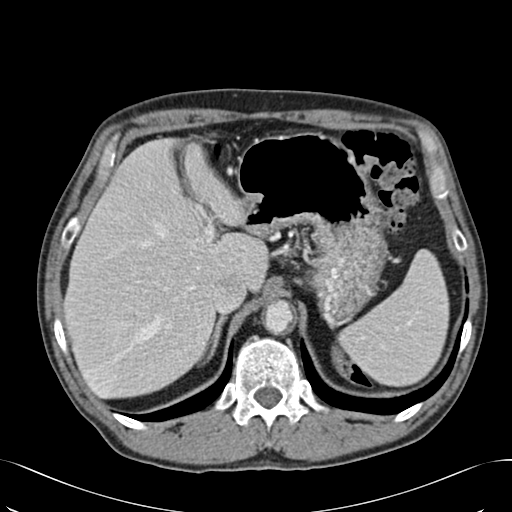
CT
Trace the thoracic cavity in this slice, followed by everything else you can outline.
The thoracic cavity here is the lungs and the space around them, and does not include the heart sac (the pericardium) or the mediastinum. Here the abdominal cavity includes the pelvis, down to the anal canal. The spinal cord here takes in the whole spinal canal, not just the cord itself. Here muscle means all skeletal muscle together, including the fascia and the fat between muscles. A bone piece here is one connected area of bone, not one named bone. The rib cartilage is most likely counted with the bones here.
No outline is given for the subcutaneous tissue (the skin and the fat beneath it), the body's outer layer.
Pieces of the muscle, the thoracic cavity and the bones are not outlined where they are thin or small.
The thoracic cavity appears in 2 outlined pieces: piece 1: (467, 299) (467, 315) (462, 323) (455, 360) (446, 379) (429, 397) (396, 413) (366, 413) (332, 406) (318, 397) (313, 391) (310, 382) (302, 374) (300, 366) (302, 365) (301, 341) (319, 377) (336, 391) (364, 398) (393, 398) (422, 388) (433, 380) (446, 365) (462, 323); piece 2: (232, 343) (233, 366) (231, 371) (231, 377) (225, 384) (218, 397) (211, 404) (208, 405) (205, 408) (185, 415) (162, 421) (142, 421) (125, 414) (145, 414) (153, 412) (156, 410) (159, 410) (171, 406) (207, 388) (213, 384) (222, 374) (226, 364) (228, 351) (230, 345). The torso is outlined by (211, 88) (293, 89) (365, 97) (417, 112) (443, 135) (483, 248) (488, 301) (484, 332) (469, 377) (451, 409) (421, 439) (379, 455) (323, 468) (193, 473) (120, 455) (79, 413) (63, 390) (48, 360) (36, 309) (38, 258) (52, 212) (94, 130) (104, 118) (150, 97). The spinal cord is outlined by (268, 386) (270, 387) (273, 387) (277, 389) (281, 394) (281, 398) (273, 406) (271, 407) (265, 407) (263, 406) (259, 402) (258, 402) (255, 399) (254, 397) (254, 394) (259, 389) (261, 388) (264, 388). The bones appear in 9 outlined pieces: piece 1: (265, 337) (278, 340) (293, 350) (301, 374) (318, 400) (329, 408) (327, 412) (309, 407) (293, 426) (287, 416) (278, 415) (268, 431) (259, 415) (252, 416) (246, 426) (238, 424) (232, 415) (234, 403) (223, 410) (213, 409) (213, 403) (232, 377) (234, 361) (241, 346), around a hole outlined by (268, 386) (270, 387) (273, 387) (277, 389) (281, 394) (281, 398) (273, 406) (271, 407) (265, 407) (263, 406) (259, 402) (258, 402) (255, 399) (254, 397) (254, 394) (259, 389) (261, 388) (264, 388); piece 2: (420, 131) (426, 131) (428, 132) (432, 137) (436, 145) (436, 150) (434, 154) (434, 158) (441, 166) (443, 170) (443, 173) (446, 180) (446, 187) (448, 189) (448, 194) (444, 199) (438, 199) (434, 196) (433, 190) (432, 189) (432, 182) (430, 179) (429, 156) (418, 134); piece 3: (116, 133) (119, 134) (119, 137) (115, 143) (115, 146) (114, 147) (115, 149) (115, 158) (114, 159) (114, 162) (113, 165) (108, 169) (108, 175) (106, 179) (104, 181) (102, 181) (96, 178) (96, 170) (98, 167) (100, 159) (102, 156) (104, 147) (109, 141) (111, 137); piece 4: (75, 215) (77, 215) (79, 217) (79, 221) (80, 222) (81, 227) (79, 231) (73, 239) (69, 248) (67, 250) (65, 249) (61, 245) (61, 243) (60, 242) (60, 239) (61, 238) (61, 235) (62, 234) (63, 229) (65, 225) (67, 223) (68, 220) (71, 217); piece 5: (113, 411) (115, 411) (116, 412) (119, 412) (133, 419) (135, 419) (136, 420) (144, 422) (147, 428) (146, 429) (141, 429) (140, 430) (138, 430) (137, 429) (134, 429) (130, 427) (127, 427) (125, 425) (124, 425) (122, 423) (118, 421) (113, 416) (112, 414) (112, 412); piece 6: (467, 316) (469, 316) (470, 320) (471, 321) (471, 333) (470, 334) (469, 340) (466, 346) (462, 351) (460, 356) (457, 359) (456, 357) (457, 356) (457, 353) (459, 349) (459, 345) (460, 344) (460, 339) (461, 338) (461, 333) (462, 332) (463, 323) (465, 321); piece 7: (56, 317) (58, 317) (59, 318) (61, 322) (62, 328) (63, 329) (63, 333) (65, 337) (66, 345) (67, 346) (67, 350) (68, 351) (68, 352) (66, 354) (65, 354) (60, 348) (56, 340) (56, 338) (54, 334) (54, 330) (53, 329) (53, 327) (54, 326) (54, 319); piece 8: (453, 226) (456, 226) (461, 231) (461, 232) (463, 234) (466, 240) (466, 242) (467, 243) (467, 248) (464, 251) (462, 252) (460, 252) (458, 251) (452, 239) (452, 236) (451, 235) (451, 232) (450, 230); piece 9: (421, 401) (423, 401) (423, 403) (422, 405) (420, 407) (420, 408) (413, 415) (412, 415) (407, 419) (405, 420) (403, 420) (402, 421) (399, 421) (398, 422) (396, 422) (393, 420) (395, 415) (397, 413). The abdominal cavity is outlined by (242, 119) (331, 130) (393, 130) (416, 139) (465, 269) (467, 297) (449, 357) (428, 383) (393, 397) (334, 389) (320, 377) (300, 341) (299, 307) (286, 295) (249, 310) (232, 334) (219, 377) (171, 405) (122, 413) (84, 383) (60, 319) (61, 272) (114, 163) (135, 138). The muscle is outlined by (172, 108) (213, 108) (214, 109) (237, 111) (243, 113) (254, 113) (263, 111) (276, 112) (287, 110) (307, 110) (308, 109) (339, 109) (359, 113) (372, 113) (386, 116) (400, 116) (406, 118) (416, 119) (427, 124) (435, 132) (443, 146) (453, 177) (465, 221) (474, 242) (476, 261) (477, 262) (476, 265) (481, 285) (481, 296) (479, 301) (479, 307) (477, 310) (478, 322) (475, 334) (475, 340) (466, 371) (459, 385) (451, 397) (420, 425) (408, 434) (394, 441) (323, 460) (309, 461) (305, 459) (292, 459) (283, 456) (279, 452) (274, 450) (270, 450) (269, 451) (260, 451) (253, 456) (244, 459) (235, 460) (227, 463) (191, 464) (190, 463) (175, 462) (170, 460) (147, 456) (130, 449) (125, 446) (107, 426) (93, 415) (86, 411) (78, 402) (69, 389) (68, 385) (59, 368) (51, 343) (48, 322) (45, 318) (45, 309) (44, 308) (45, 272) (46, 271) (46, 262) (50, 249) (50, 244) (52, 240) (52, 237) (56, 226) (64, 212) (67, 205) (68, 199) (79, 176) (79, 174) (92, 150) (96, 139) (102, 130) (112, 123) (127, 119) (138, 114) (154, 110) (171, 109); inner edge: (242, 119) (411, 135) (429, 177) (418, 133) (432, 137) (448, 189) (436, 200) (448, 230) (456, 226) (467, 243) (455, 250) (468, 281) (471, 333) (446, 379) (407, 419) (319, 398) (327, 412) (309, 407) (293, 426) (278, 415) (268, 431) (259, 415) (238, 424) (234, 403) (145, 421) (138, 430) (113, 416) (60, 348) (53, 327) (68, 251) (60, 239) (102, 190) (106, 181) (96, 170) (111, 137) (119, 134) (115, 162) (135, 138). The mediastinum is outlined by (276, 296) (286, 296) (292, 299) (298, 307) (297, 335) (299, 339) (301, 365) (299, 363) (296, 353) (291, 347) (284, 342) (269, 336) (258, 337) (252, 341) (246, 341) (243, 343) (238, 349) (234, 360) (232, 338) (235, 330) (242, 319) (249, 311) (259, 306) (266, 300).